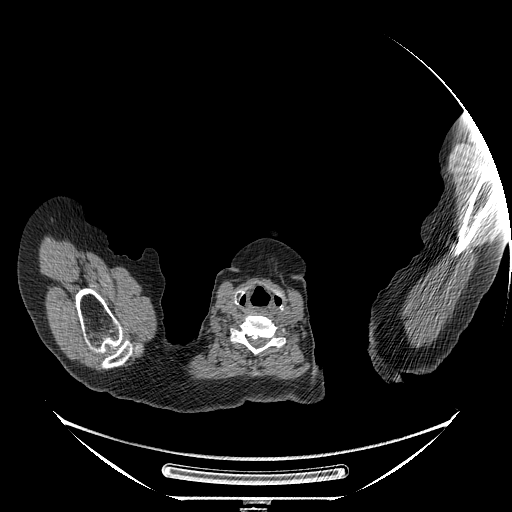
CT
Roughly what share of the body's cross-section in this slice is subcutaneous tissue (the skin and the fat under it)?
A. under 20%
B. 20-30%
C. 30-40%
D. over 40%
Answer: D. over 40%
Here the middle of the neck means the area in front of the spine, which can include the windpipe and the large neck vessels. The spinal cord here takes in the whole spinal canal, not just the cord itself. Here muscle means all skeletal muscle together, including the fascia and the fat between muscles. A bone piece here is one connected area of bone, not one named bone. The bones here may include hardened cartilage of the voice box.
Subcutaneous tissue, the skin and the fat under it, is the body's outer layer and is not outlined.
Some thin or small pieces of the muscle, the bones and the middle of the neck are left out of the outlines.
Outlines (x, y in pixels):
middle of the neck: (256, 283) (264, 284) (275, 295) (279, 296) (283, 300) (283, 304) (282, 303) (279, 306) (279, 309) (283, 311) (275, 315) (264, 315) (263, 314) (244, 313) (236, 308) (235, 305) (238, 306) (240, 304) (239, 302) (241, 301) (248, 286) (251, 286)
head and neck: (268, 227) (278, 229) (281, 233) (279, 238) (306, 263) (304, 278) (307, 304) (314, 337) (314, 356) (323, 369) (324, 398) (312, 404) (288, 400) (247, 401) (229, 409) (195, 413) (172, 411) (185, 343) (197, 334) (208, 311) (216, 274) (230, 265) (242, 247) (263, 236)
right arm: (56, 195) (69, 196) (80, 202) (87, 221) (105, 232) (108, 245) (116, 254) (137, 259) (146, 247) (157, 251) (166, 281) (161, 299) (165, 332) (172, 342) (184, 343) (171, 410) (87, 388) (63, 368) (39, 338) (19, 293) (16, 262) (20, 236) (27, 219) (43, 201)
left arm: (463, 112) (467, 112) (476, 124) (495, 163) (505, 196) (511, 228) (510, 240) (491, 287) (449, 355) (431, 373) (404, 373) (404, 384) (389, 384) (374, 370) (366, 349) (370, 307) (378, 291) (423, 246) (419, 234) (421, 223) (436, 206) (443, 190) (438, 153) (448, 129)
bones 1: (82, 287) (92, 288) (103, 298) (107, 306) (120, 323) (125, 338) (134, 344) (137, 342) (143, 343) (144, 350) (140, 356) (131, 357) (123, 365) (118, 367) (109, 369) (103, 369) (101, 367) (101, 362) (107, 354) (95, 353) (88, 349) (83, 338) (77, 313) (75, 295)
bones 2: (491, 157) (493, 158) (501, 181) (501, 184) (502, 185) (500, 191) (494, 198) (490, 211) (485, 220) (462, 254) (460, 254) (457, 256) (453, 256) (453, 249) (457, 240) (457, 235) (460, 228) (460, 225) (466, 207) (475, 188) (475, 186) (478, 181) (484, 165) (486, 161)
bones 3: (247, 315) (266, 316) (275, 325) (279, 326) (280, 328) (281, 327) (285, 328) (284, 334) (286, 339) (285, 343) (279, 348) (270, 346) (256, 356) (254, 356) (243, 344) (238, 342) (235, 343) (231, 342) (229, 339) (230, 326) (233, 326) (236, 320) (238, 322) (242, 322) with a hole at (247, 337) (251, 337) (254, 340) (255, 339) (256, 339) (257, 338) (267, 338) (268, 339) (269, 339) (267, 341) (267, 342) (265, 344) (264, 344) (262, 346) (260, 346) (259, 347) (254, 347) (249, 342) (249, 341) (248, 340) (248, 339) (247, 338)
bones 4: (246, 287) (247, 287) (247, 288) (245, 292) (242, 295) (240, 299) (240, 301) (238, 302) (239, 304) (238, 305) (236, 305) (233, 301) (233, 298) (234, 297) (234, 294) (235, 292) (239, 289) (241, 289) (242, 288) (245, 288)
spinal cord: (247, 337) (251, 337) (254, 340) (255, 339) (256, 339) (257, 338) (267, 338) (268, 339) (269, 339) (267, 341) (267, 342) (265, 344) (264, 344) (262, 346) (260, 346) (259, 347) (254, 347) (249, 342) (249, 341) (248, 340) (248, 339) (247, 338)
muscle 1: (43, 232) (95, 251) (110, 267) (125, 267) (143, 287) (158, 330) (141, 360) (119, 367) (140, 357) (145, 345) (125, 337) (104, 298) (89, 286) (77, 290) (74, 304) (83, 341) (91, 352) (106, 354) (99, 365) (107, 370) (91, 369) (63, 353) (43, 303) (37, 259)
muscle 2: (474, 122) (492, 156) (485, 161) (467, 202) (452, 256) (463, 254) (489, 215) (502, 186) (509, 224) (482, 257) (441, 337) (433, 347) (415, 350) (406, 343) (406, 335) (400, 323) (402, 303) (445, 252) (455, 235) (452, 188) (446, 173) (446, 159) (449, 150)
muscle 3: (263, 255) (276, 256) (285, 282) (296, 288) (302, 296) (307, 359) (310, 363) (308, 372) (295, 380) (274, 380) (258, 376) (237, 376) (223, 380) (188, 380) (184, 373) (184, 367) (192, 356) (202, 349) (206, 341) (206, 331) (219, 285) (225, 279) (237, 276) (249, 262), around a hole outlined by (256, 283) (264, 284) (271, 290) (279, 291) (283, 295) (283, 311) (275, 315) (266, 316) (275, 325) (285, 328) (284, 336) (286, 341) (279, 348) (270, 346) (254, 356) (243, 344) (230, 341) (229, 329) (236, 320) (242, 322) (249, 314) (236, 308) (233, 301) (235, 292)